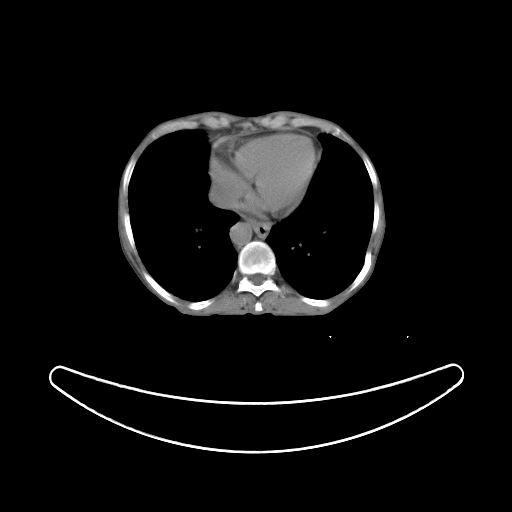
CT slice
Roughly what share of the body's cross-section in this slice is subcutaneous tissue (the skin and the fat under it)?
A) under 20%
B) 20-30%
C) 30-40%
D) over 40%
Answer: A) under 20%
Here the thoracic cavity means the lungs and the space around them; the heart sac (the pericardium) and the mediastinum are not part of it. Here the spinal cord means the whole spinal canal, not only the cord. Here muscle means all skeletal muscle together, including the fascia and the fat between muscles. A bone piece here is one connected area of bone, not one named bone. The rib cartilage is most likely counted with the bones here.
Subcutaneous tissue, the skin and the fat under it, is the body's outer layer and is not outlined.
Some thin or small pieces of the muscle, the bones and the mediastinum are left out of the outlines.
Outlines:
thoracic cavity 1: 186,129 201,130 209,147 208,202 216,208 231,211 237,216 237,220 228,227 228,237 237,254 236,267 232,272 231,280 214,296 196,301 189,301 174,295 148,272 136,246 128,197 132,174 144,150 160,137
thoracic cavity 2: 324,133 347,143 361,158 372,187 373,209 370,235 359,271 349,285 338,293 328,298 315,298 301,294 283,279 278,270 275,253 267,242 267,238 272,228 289,216 302,202 325,149 324,144 319,140 319,136
torso: 280,108 299,110 337,122 371,158 381,183 386,216 385,235 373,273 357,293 326,315 185,315 148,291 121,251 116,226 116,205 118,183 124,166 148,130 160,121 200,110 225,110 249,115
pericardium: 280,128 299,128 304,131 310,132 319,142 322,153 319,163 313,173 301,202 289,215 278,220 253,219 238,209 233,201 212,183 208,173 210,150 213,143 224,136 235,133 245,133 258,130 270,130
muscle 1: 278,272 282,279 300,294 299,299 313,307 326,308 331,303 329,298 346,288 348,292 357,288 343,301 326,310 311,313 267,311 263,310 259,300 254,303 254,310 239,312 189,312 173,305 178,303 176,296 188,301 188,309 202,310 211,305 215,299 213,297 231,282 237,282 236,293 249,292 259,297 265,291 272,291 282,296 285,288 275,279
muscle 2: 277,112 292,112 312,117 296,116 289,118 284,114 278,114 273,117 269,116 265,116 264,117 263,117 259,121 259,125 261,126 258,126 257,129 256,128 255,129 245,129 243,127 230,126 230,121 224,116 219,116 218,117 205,116 203,117 201,119 201,123 206,126 199,126 200,123 197,120 189,120 188,119 176,120 204,113 221,113 246,120 256,117 261,117 262,116 266,116 269,114
muscle 3: 121,186 123,193 126,196 127,195 128,198 128,211 125,211 122,216 124,231 132,251 135,255 137,255 138,253 141,261 146,269 146,270 143,270 141,273 143,278 132,263 125,251 123,245 120,227 120,190
muscle 4: 379,185 380,195 381,196 383,225 382,226 382,232 380,240 374,254 372,265 372,251 369,248 367,248 367,247 370,239 370,236 375,234 380,219 380,206 378,201 376,199 374,200 373,197 373,189 376,189
muscle 5: 150,134 150,137 151,138 151,139 153,141 152,141 143,150 143,151 141,153 141,154 139,156 139,157 137,160 137,159 134,156 133,156 133,154 134,153 134,152 137,149 137,148 142,143 142,142
muscle 6: 350,138 351,138 361,148 361,149 362,150 363,150 363,151 364,152 362,154 362,155 361,156 361,157 356,152 356,151 349,144 351,142 351,140 350,139
spinal cord: 257,273 259,273 260,274 262,274 263,275 264,275 265,276 265,278 263,280 263,281 260,284 255,284 254,283 253,283 250,280 250,279 249,278 249,276 250,275 251,275 252,274 256,274
mediastinum 1: 211,181 213,185 216,186 226,197 232,201 238,210 249,218 258,221 278,221 282,219 271,228 266,238 266,242 257,239 248,241 237,253 229,237 229,227 238,220 238,216 231,210 216,207 209,202 208,191
mediastinum 2: 199,127 207,127 211,129 221,129 222,128 235,127 236,128 243,128 245,130 255,130 256,129 257,130 246,131 245,132 235,132 228,135 221,136 212,143 210,149 210,147 205,138 205,133 201,129 197,128
mediastinum 3: 304,126 311,126 312,127 315,127 316,128 318,128 321,131 324,132 323,133 320,134 318,136 318,140 317,139 316,136 313,133 312,133 310,131 308,131 307,130 304,130 303,129 300,128 299,127 303,127
bones 1: 255,240 267,243 274,253 278,271 277,275 275,276 274,279 279,286 284,288 284,292 282,295 272,290 265,290 259,296 256,296 249,291 236,292 238,282 231,281 233,272 237,267 238,254 241,249 248,242; inner edge: 257,273 259,273 260,274 262,274 263,275 264,275 265,276 265,278 263,280 263,281 260,284 255,284 254,283 253,283 250,280 250,279 249,278 249,276 250,275 251,275 252,274 256,274
bones 2: 278,115 284,115 289,119 296,117 321,119 331,126 335,125 339,127 349,138 350,142 346,142 330,133 321,130 318,127 311,125 292,127 286,124 284,127 279,128 262,126 260,125 260,121 263,118 273,118
bones 3: 184,120 188,120 189,121 197,121 199,124 196,128 179,129 178,130 175,130 174,131 166,133 154,140 152,139 151,137 151,134 152,132 154,130 156,130 159,128 162,125 172,122 173,121 183,121
bones 4: 367,249 369,249 371,251 371,266 367,274 365,276 364,279 361,282 361,283 353,290 351,291 348,291 348,287 353,281 355,277 358,274 358,273 360,271 364,263 364,258 365,257 365,253
bones 5: 143,271 146,271 164,289 165,289 168,292 172,294 175,297 175,299 177,303 176,304 172,304 166,301 161,296 160,296 146,281 142,273
bones 6: 132,156 136,159 136,163 134,166 133,171 131,174 131,177 130,178 130,180 129,181 129,184 128,185 128,191 126,195 124,193 124,191 122,188 122,178 123,177 123,173 124,172 125,167 128,161
bones 7: 205,117 215,117 216,118 218,118 219,117 224,117 225,118 226,118 229,121 229,126 228,127 222,127 221,128 211,128 210,127 208,127 206,125 205,125 204,124 203,124 202,123 202,119 203,118 204,118
bones 8: 364,153 365,153 369,158 376,172 376,174 377,175 377,178 378,179 378,185 376,188 373,188 372,186 372,184 371,183 371,181 370,180 370,178 369,177 369,175 368,174 368,172 362,160 362,156
bones 9: 125,212 128,212 129,214 130,225 131,226 131,230 133,234 133,238 134,239 135,246 137,250 137,254 135,254 135,253 133,251 129,243 129,241 128,240 128,238 125,231 124,220 123,219 123,216
bones 10: 300,295 302,295 303,296 305,296 306,297 309,297 310,298 314,298 315,299 329,299 330,300 330,303 329,304 329,305 326,307 318,307 317,306 313,306 312,305 310,305 309,304 302,301 300,299
bones 11: 210,298 213,298 214,299 213,300 213,302 208,306 207,306 202,309 200,309 199,310 193,310 192,309 190,309 187,307 187,305 189,302 196,302 197,301 202,301 203,300 206,300 207,299 209,299
bones 12: 375,200 376,200 377,201 377,202 378,203 378,205 379,206 379,219 378,220 378,222 377,223 377,227 376,228 376,230 375,231 374,234 371,235 371,231 372,230 372,224 373,223 373,210 374,209 374,201